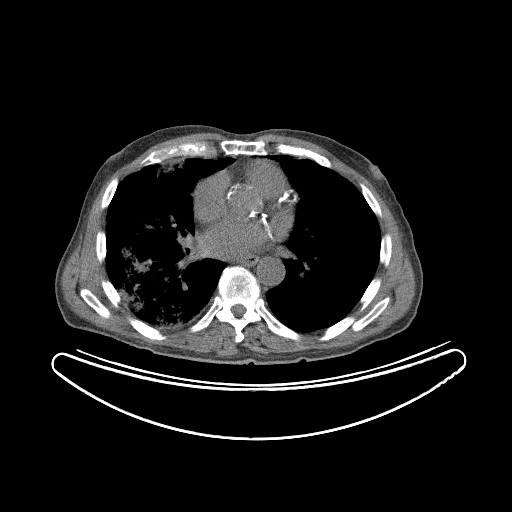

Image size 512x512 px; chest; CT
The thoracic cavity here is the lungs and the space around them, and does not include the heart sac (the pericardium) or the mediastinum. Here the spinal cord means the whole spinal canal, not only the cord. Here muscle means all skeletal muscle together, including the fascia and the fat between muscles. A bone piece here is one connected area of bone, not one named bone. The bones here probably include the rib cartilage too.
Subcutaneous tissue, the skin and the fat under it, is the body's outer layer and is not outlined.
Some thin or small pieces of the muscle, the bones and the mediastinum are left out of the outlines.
{"bones":[{"outer":[[236,265],[251,272],[259,285],[265,306],[280,322],[300,333],[302,336],[299,340],[274,333],[263,321],[248,323],[242,329],[243,339],[240,342],[235,341],[235,329],[230,323],[215,318],[207,327],[199,331],[188,330],[212,304],[224,268]],"hole":[[237,304],[240,304],[241,305],[242,305],[245,308],[245,311],[242,314],[242,315],[241,316],[236,316],[232,312],[232,311],[231,310],[231,308],[233,306],[234,306],[235,305],[236,305]]},[[229,139],[264,140],[267,143],[266,147],[269,151],[266,155],[225,155],[219,149],[218,154],[214,157],[206,158],[202,156],[180,155],[166,159],[160,163],[140,166],[140,162],[145,157],[152,151],[160,148],[197,141],[206,141],[217,147],[219,142]],[[387,296],[388,296],[390,299],[383,311],[377,317],[360,330],[355,331],[349,326],[341,333],[330,339],[327,340],[319,340],[318,339],[326,328],[335,324],[348,315],[352,315],[354,316],[356,320],[359,319],[365,315],[375,305],[375,304]],[[278,143],[283,143],[289,145],[300,146],[308,149],[311,149],[328,158],[332,165],[332,168],[329,168],[323,166],[310,158],[307,158],[306,157],[298,157],[289,154],[275,153],[275,149],[274,147],[275,145]],[[128,317],[134,317],[135,318],[137,318],[141,321],[148,324],[150,326],[152,327],[154,327],[158,329],[164,335],[166,336],[166,338],[165,339],[151,339],[150,338],[148,338],[144,336],[138,331],[137,331],[129,323],[128,321]],[[82,288],[86,288],[87,289],[88,289],[93,294],[94,294],[96,296],[96,297],[109,310],[109,311],[110,312],[110,316],[108,318],[105,318],[104,317],[101,316],[92,307],[91,307],[83,299],[83,298],[81,296],[81,295],[80,294],[80,290]],[[374,277],[379,277],[381,279],[379,288],[376,294],[373,297],[371,301],[366,306],[366,307],[364,309],[360,311],[359,309],[361,306],[361,304],[359,302],[359,300],[362,296],[362,295],[364,293],[366,288],[370,283],[371,280]],[[386,233],[388,233],[390,235],[390,237],[391,238],[391,255],[390,256],[390,259],[389,260],[389,262],[388,263],[388,265],[387,266],[385,266],[379,262],[379,259],[380,258],[380,249],[381,248],[381,237],[384,234],[385,234]],[[360,183],[363,183],[370,190],[370,191],[373,194],[374,197],[378,202],[379,206],[380,207],[380,209],[381,210],[381,216],[380,217],[376,216],[374,212],[371,209],[367,201],[365,199],[363,194],[361,192],[361,190],[359,186],[359,184]],[[102,279],[108,279],[111,282],[111,283],[114,286],[114,287],[118,292],[118,293],[119,294],[119,296],[120,297],[120,302],[118,304],[118,307],[115,307],[105,294],[105,293],[103,290],[103,288],[101,285],[101,280]],[[115,177],[117,177],[119,181],[117,185],[117,187],[112,196],[112,198],[108,206],[106,208],[104,209],[102,209],[101,208],[101,200],[102,199],[102,196],[105,191],[105,189],[106,187],[108,185],[110,181],[113,178]],[[99,230],[103,230],[105,232],[105,245],[106,246],[106,254],[105,255],[105,259],[104,260],[104,261],[103,261],[101,263],[98,260],[98,258],[97,257],[97,255],[96,254],[96,236],[97,235],[97,232]]],"thoracic_cavity":[[[224,155],[231,157],[232,162],[200,177],[189,193],[193,239],[201,258],[218,260],[226,266],[218,277],[216,293],[206,311],[188,327],[161,331],[135,317],[121,301],[119,292],[108,277],[105,261],[107,208],[119,183],[143,167],[180,156],[206,159]],[[269,154],[306,158],[334,170],[360,190],[377,219],[381,236],[379,263],[374,276],[348,314],[324,329],[298,332],[280,321],[266,306],[266,292],[281,284],[286,277],[284,252],[288,249],[286,242],[295,224],[296,207],[300,198],[281,163],[267,158]]],"muscle":[{"outer":[[203,132],[227,137],[217,146],[197,140],[154,149],[139,162],[139,169],[120,181],[113,177],[101,196],[100,208],[106,209],[105,231],[96,232],[95,254],[101,264],[105,262],[108,278],[102,278],[100,285],[115,308],[121,302],[133,314],[127,321],[137,332],[151,340],[165,340],[163,331],[188,328],[196,333],[215,319],[233,327],[236,343],[244,339],[243,329],[248,324],[263,322],[269,331],[286,339],[299,341],[301,333],[323,330],[317,339],[327,341],[349,327],[360,331],[387,307],[391,299],[387,295],[359,318],[349,314],[356,304],[360,304],[360,312],[372,301],[382,281],[375,276],[377,268],[379,264],[387,267],[392,255],[392,238],[388,232],[381,234],[377,217],[382,210],[374,194],[363,182],[358,188],[333,169],[328,157],[311,148],[278,142],[270,153],[264,139],[254,139],[266,134],[319,145],[374,187],[399,227],[415,277],[415,294],[405,314],[384,330],[334,350],[262,354],[244,348],[237,355],[213,356],[129,338],[74,313],[62,293],[62,272],[86,230],[103,184],[153,145]],"hole":[[82,288],[86,288],[87,289],[88,289],[93,294],[94,294],[96,296],[96,297],[109,310],[109,311],[110,312],[110,316],[108,318],[105,318],[104,317],[101,316],[92,307],[91,307],[83,299],[83,298],[81,296],[81,295],[80,294],[80,290]]}],"pericardium":[[[263,159],[276,162],[281,167],[295,195],[295,219],[293,227],[287,239],[281,242],[279,245],[263,251],[247,252],[230,256],[217,256],[204,253],[204,251],[200,248],[196,241],[196,224],[193,215],[192,198],[194,188],[205,177],[224,168],[237,163]]],"mediastinum":[[[283,242],[285,242],[287,249],[283,252],[282,259],[285,267],[285,277],[281,283],[268,289],[264,297],[262,296],[256,277],[247,268],[237,264],[227,265],[225,262],[214,258],[202,258],[198,249],[198,246],[204,254],[209,256],[230,257],[268,251]],[[231,155],[234,155],[235,156],[237,155],[245,155],[246,156],[266,156],[266,158],[268,159],[264,159],[263,158],[262,159],[251,159],[247,161],[237,162],[227,167],[225,167],[231,164],[233,162],[234,159],[231,156],[225,156],[230,156]]],"spinal_cord":[[[237,304],[240,304],[241,305],[242,305],[245,308],[245,311],[242,314],[242,315],[241,316],[236,316],[232,312],[232,311],[231,310],[231,308],[233,306],[234,306],[235,305],[236,305]]],"torso":[[[184,124],[211,125],[242,134],[269,128],[309,131],[330,137],[376,164],[402,207],[422,267],[422,294],[409,326],[339,357],[309,362],[302,359],[288,364],[238,365],[158,355],[68,325],[56,302],[55,274],[97,170],[110,155],[134,139],[160,128]]]}